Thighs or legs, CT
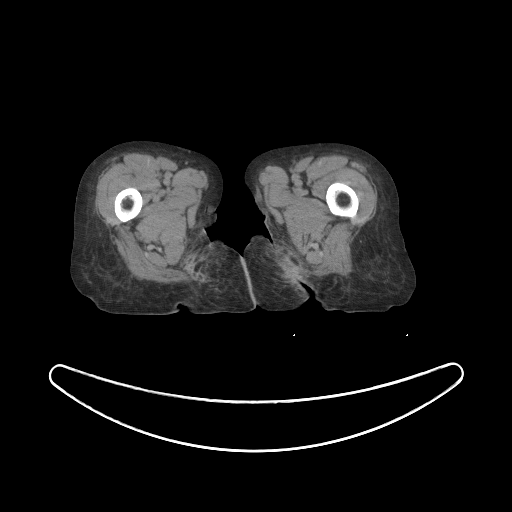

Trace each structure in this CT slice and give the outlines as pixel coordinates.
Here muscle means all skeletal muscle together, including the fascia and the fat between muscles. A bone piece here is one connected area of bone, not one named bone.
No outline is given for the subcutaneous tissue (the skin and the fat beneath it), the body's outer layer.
The right leg is outlined by 131,140 152,140 185,147 206,155 216,163 222,175 223,189 216,209 216,221 206,229 206,233 241,253 255,304 252,311 194,314 182,307 168,315 112,314 97,308 77,290 69,267 74,203 80,178 99,154. The bones appear in 2 outlined pieces: piece 1: 333,182 342,182 343,183 345,183 350,187 351,187 355,191 358,197 359,203 358,204 358,209 357,210 356,215 353,218 334,215 330,212 329,208 327,205 327,203 325,200 325,195 326,194 326,190 328,186; piece 2: 127,187 134,187 136,188 140,192 141,194 143,203 142,204 142,207 139,213 134,218 126,222 122,222 119,220 119,219 116,216 115,214 115,212 114,211 114,199 115,198 115,196 116,194 119,191. The muscle appears in 2 outlined pieces: piece 1: 125,152 161,155 203,170 207,175 208,184 203,190 202,201 195,216 195,227 191,232 189,244 199,282 192,281 190,283 171,285 140,281 132,277 126,268 108,230 94,210 95,189 99,175 109,160, around a hole outlined by 127,187 134,187 136,188 140,192 141,194 143,203 142,204 142,207 139,213 134,218 126,222 122,222 119,220 119,219 116,216 115,214 115,212 114,211 114,199 115,198 115,196 116,194 119,191; piece 2: 317,154 340,154 362,163 366,167 378,192 377,209 374,217 361,229 351,245 354,271 343,276 336,273 319,276 309,269 306,262 296,251 268,209 263,197 263,188 259,181 259,174 267,165 297,161 306,156 with a hole at 333,182 342,182 343,183 345,183 350,187 351,187 355,191 358,197 359,203 358,204 358,209 357,210 356,215 353,218 334,215 330,212 329,208 327,205 327,203 325,200 325,195 326,194 326,190 328,186. The left leg is outlined by 312,142 359,147 377,158 390,173 399,197 400,229 416,275 416,287 407,303 384,312 346,313 326,310 311,296 293,310 269,311 256,307 242,252 252,235 261,233 268,237 269,234 245,184 245,169 265,151.